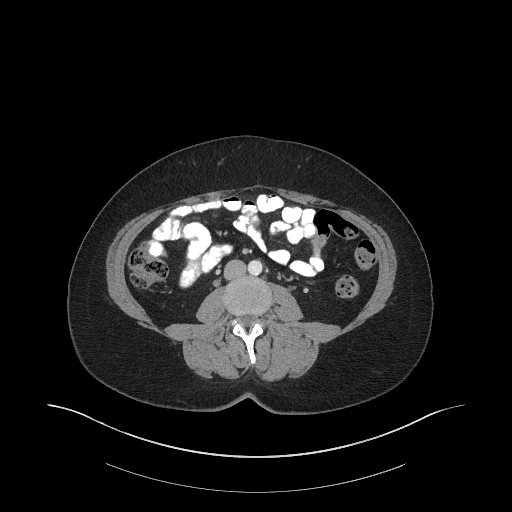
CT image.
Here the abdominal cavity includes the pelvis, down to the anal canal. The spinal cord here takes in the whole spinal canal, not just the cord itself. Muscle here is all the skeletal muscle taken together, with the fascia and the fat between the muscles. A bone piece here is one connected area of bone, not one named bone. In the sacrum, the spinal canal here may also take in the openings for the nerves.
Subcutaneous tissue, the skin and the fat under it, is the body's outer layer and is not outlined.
Outlines:
torso: [[283,415],[323,413],[353,406],[392,390],[409,376],[425,352],[433,319],[433,284],[420,239],[385,190],[357,167],[322,148],[241,134],[170,152],[116,190],[78,247],[69,273],[66,302],[74,352],[96,380],[147,404],[217,411],[250,398],[266,410]]
abdominal cavity: [[160,327],[172,322],[197,321],[195,312],[208,293],[242,279],[262,279],[282,285],[298,302],[303,320],[343,326],[362,308],[375,285],[379,265],[374,246],[356,226],[330,207],[306,206],[268,190],[245,191],[173,207],[138,234],[124,265],[131,293]]
bones: [[252,364],[255,362],[253,350],[254,339],[263,332],[259,317],[270,304],[268,298],[270,291],[265,282],[262,280],[242,280],[229,283],[226,286],[226,293],[224,295],[225,304],[228,310],[234,315],[234,317],[230,320],[232,331],[245,342],[250,362]] with a hole at [[247,329],[248,329],[250,327],[251,327],[252,324],[254,322],[255,322],[256,321],[256,319],[257,318],[257,317],[255,315],[254,315],[253,314],[245,314],[244,315],[241,315],[240,316],[239,316],[239,318],[240,319],[239,322],[245,328],[246,328]]
spinal cord: [[247,329],[248,329],[250,327],[251,327],[252,324],[254,322],[255,322],[256,321],[256,319],[257,318],[257,317],[255,315],[254,315],[253,314],[245,314],[244,315],[241,315],[240,316],[239,316],[239,318],[240,319],[239,322],[245,328],[246,328]]
muscle: [[268,382],[303,376],[324,344],[361,325],[384,307],[393,290],[397,259],[383,228],[360,212],[328,199],[261,184],[180,198],[143,212],[120,228],[105,259],[107,290],[114,303],[139,325],[179,344],[186,365],[201,378],[217,381],[256,375]] with a hole at [[252,364],[254,339],[263,332],[259,317],[270,304],[266,281],[289,290],[303,320],[343,326],[375,285],[373,244],[330,207],[306,206],[268,190],[173,207],[128,249],[124,272],[131,293],[164,327],[197,321],[205,296],[224,286],[232,331],[245,342]]